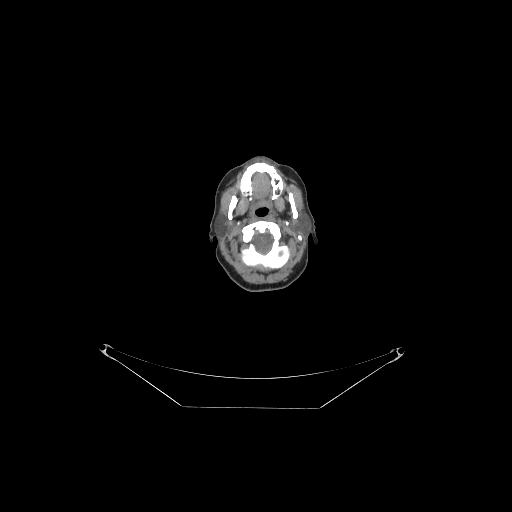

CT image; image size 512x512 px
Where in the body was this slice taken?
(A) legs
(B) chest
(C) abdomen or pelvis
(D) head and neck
Answer: (D) head and neck
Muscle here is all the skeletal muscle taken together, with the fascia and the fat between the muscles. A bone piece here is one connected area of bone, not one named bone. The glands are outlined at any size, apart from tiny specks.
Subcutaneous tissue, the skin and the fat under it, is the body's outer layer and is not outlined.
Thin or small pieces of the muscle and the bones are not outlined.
The parotid glands appear in 2 outlined pieces: piece 1: 304,211 305,212 305,213 307,215 308,215 309,216 309,217 310,218 310,223 312,226 311,229 310,229 308,231 307,234 305,236 303,234 303,233 299,229 299,228 300,227 300,216 301,215 301,214; piece 2: 218,214 223,214 225,217 225,224 224,225 224,233 222,236 220,236 217,233 216,233 214,230 214,223 216,220 216,218 217,217 217,216 218,215. The head is outlined by 256,155 265,155 297,171 306,186 308,204 315,220 318,241 315,244 313,238 310,235 308,237 307,266 293,284 281,290 248,292 240,288 229,279 215,258 217,240 215,238 209,242 208,238 219,181 229,169 with a hole at 260,208 266,208 267,209 268,209 268,211 266,213 266,215 262,215 261,216 260,216 259,215 257,215 255,213 255,211 256,210 257,210 258,209 259,209. The bones appear in 4 outlined pieces: piece 1: 260,219 266,221 272,221 278,224 283,236 283,240 291,248 291,257 287,263 281,268 272,270 262,270 255,267 246,266 242,263 238,257 239,249 240,247 244,245 241,239 240,231 241,228 249,223 252,223 with a hole at 256,232 257,232 259,234 260,234 261,235 262,235 263,234 268,232 272,237 272,241 271,242 270,247 265,252 262,252 261,251 258,250 256,248 254,243 252,241 253,240 253,237 254,236 254,235 256,233; piece 2: 256,161 263,161 273,165 282,178 282,180 284,182 284,187 278,198 271,199 272,187 270,184 270,177 266,173 259,172 256,172 252,175 251,200 247,196 242,194 240,190 240,181 242,175 246,167 251,163; piece 3: 233,194 234,194 237,197 238,200 236,203 236,205 235,206 235,207 233,209 233,211 232,212 232,218 230,220 229,219 228,219 228,218 227,217 227,214 228,213 228,209 229,208 229,204 230,203 231,196; piece 4: 289,191 290,191 293,195 293,198 294,199 294,202 295,203 295,207 296,208 296,210 298,214 296,218 293,218 292,217 292,211 291,210 291,208 290,207 290,204 288,200 289,198 289,195 288,194 288,192. The brain is outlined by 256,232 257,232 259,234 260,234 261,235 262,235 263,234 268,232 272,237 272,241 271,242 270,247 265,252 262,252 261,251 258,250 256,248 254,243 252,241 253,240 253,237 254,236 254,235 256,233. The muscle is outlined by 246,165 239,181 239,190 241,194 250,201 252,200 253,193 252,179 253,175 256,173 266,174 269,177 271,200 278,199 282,194 285,182 274,165 293,178 301,191 304,210 299,216 298,229 305,237 306,236 305,247 301,260 294,271 285,280 263,284 249,283 243,280 234,271 221,254 220,237 225,233 226,224 225,215 219,213 221,194 228,182 with holes at 260,219 266,221 272,221 278,224 283,236 283,240 291,248 291,257 287,263 281,268 272,270 262,270 255,267 246,266 242,263 238,257 239,249 240,247 244,245 241,239 240,231 241,228 249,223 252,223 and at 233,194 234,194 237,197 238,200 236,203 236,205 235,206 235,207 233,209 233,211 232,212 232,218 230,220 229,219 228,219 228,218 227,217 227,214 228,213 228,209 229,208 229,204 230,203 231,196 and at 289,191 290,191 293,195 293,198 294,199 294,202 295,203 295,207 296,208 296,210 298,214 296,218 293,218 292,217 292,211 291,210 291,208 290,207 290,204 288,200 289,198 289,195 288,194 288,192 and at 260,208 266,208 267,209 268,209 268,211 266,213 266,215 262,215 261,216 260,216 259,215 257,215 255,213 255,211 256,210 257,210 258,209 259,209.